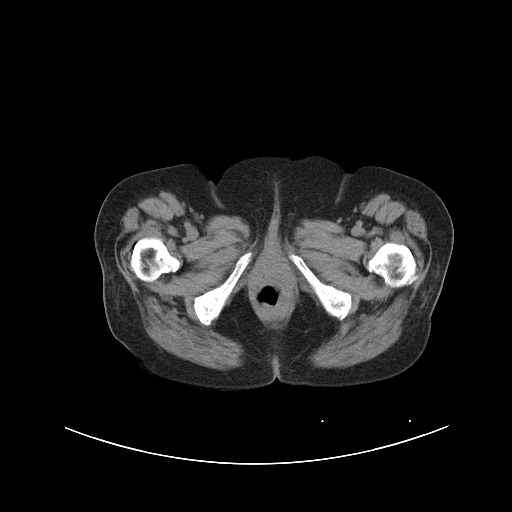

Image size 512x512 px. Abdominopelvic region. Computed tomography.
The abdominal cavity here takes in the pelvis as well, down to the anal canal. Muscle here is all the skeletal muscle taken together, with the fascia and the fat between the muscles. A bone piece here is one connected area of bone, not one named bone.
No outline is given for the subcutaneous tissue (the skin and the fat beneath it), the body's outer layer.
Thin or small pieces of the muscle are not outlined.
The muscle is outlined by 161,190 183,201 197,222 236,215 257,238 288,237 305,218 343,226 381,192 412,202 426,224 431,261 401,335 367,361 313,367 308,355 334,333 328,314 342,321 352,295 289,252 322,307 300,290 285,327 268,329 245,288 223,309 252,260 247,251 222,283 192,303 201,324 217,318 214,329 242,345 244,364 219,370 158,347 114,247 125,211, around holes outlined by 267,259 274,259 284,262 289,266 289,268 293,272 293,275 295,276 294,290 295,291 291,307 284,321 277,327 272,327 264,321 254,302 250,299 251,298 250,289 252,286 252,275 254,273 254,270 261,262 and by 386,242 395,242 396,243 404,244 406,245 411,251 416,262 416,270 415,273 417,276 417,278 410,284 398,288 391,287 385,283 384,279 380,275 374,272 369,272 367,270 366,267 368,260 370,259 377,250 and by 143,237 156,237 157,238 159,238 163,242 167,248 168,252 172,256 178,259 179,261 179,268 174,272 162,273 152,282 148,282 147,281 140,280 135,275 130,268 130,259 132,254 132,250 135,243 139,239. The bones appear in 4 outlined pieces: piece 1: 386,242 395,242 396,243 404,244 406,245 411,251 416,262 416,270 415,273 417,276 417,278 410,284 398,288 391,287 385,283 384,279 380,275 374,272 369,272 367,270 366,267 368,260 370,259 377,250; piece 2: 143,237 156,237 157,238 159,238 163,242 167,248 168,252 172,256 178,259 179,261 179,268 174,272 162,273 152,282 148,282 147,281 140,280 135,275 130,268 130,259 132,254 132,250 135,243 139,239; piece 3: 247,252 252,252 251,260 238,278 230,294 225,301 224,306 222,308 219,315 216,318 213,319 209,325 205,325 201,323 196,316 194,311 193,307 194,298 196,296 200,295 222,284 233,270 237,260 243,254; piece 4: 289,253 292,253 300,256 303,259 307,266 321,282 325,284 329,284 340,290 348,292 351,295 351,307 347,315 342,320 339,320 336,317 331,315 326,311 323,307 320,300 303,274 296,265 288,257 288,254. The abdominal cavity is outlined by 267,259 274,259 284,262 289,266 289,268 293,272 293,275 295,276 294,290 295,291 291,307 284,321 277,327 272,327 264,321 254,302 250,299 251,298 250,289 252,286 252,275 254,273 254,270 261,262. The torso is outlined by 258,154 319,154 347,171 381,166 424,182 442,199 453,224 453,248 428,343 405,372 352,387 291,385 276,378 254,389 201,389 149,374 113,336 93,239 110,189 134,173 181,163 196,164 215,180 232,162.